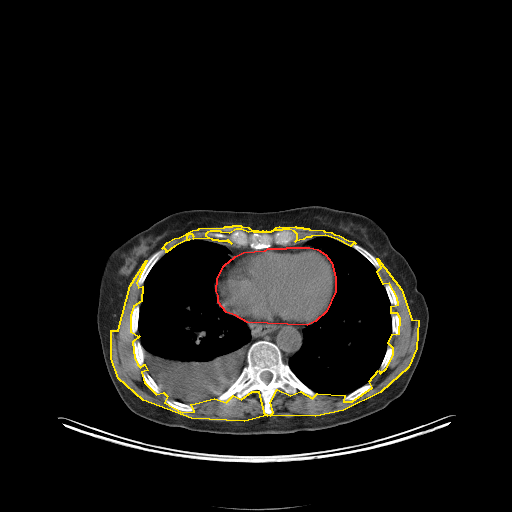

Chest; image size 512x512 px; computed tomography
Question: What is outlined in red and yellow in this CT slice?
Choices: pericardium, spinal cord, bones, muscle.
Answer: red: pericardium; yellow: muscle.
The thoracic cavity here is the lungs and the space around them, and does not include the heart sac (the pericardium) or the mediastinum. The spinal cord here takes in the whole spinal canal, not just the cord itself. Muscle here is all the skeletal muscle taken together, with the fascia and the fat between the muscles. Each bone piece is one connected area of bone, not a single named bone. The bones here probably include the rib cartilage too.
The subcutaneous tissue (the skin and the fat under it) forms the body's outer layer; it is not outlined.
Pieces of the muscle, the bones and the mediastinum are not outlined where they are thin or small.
The pericardium is outlined by (287, 247) (309, 247) (317, 249) (325, 254) (331, 262) (335, 277) (335, 291) (326, 311) (315, 321) (307, 325) (247, 322) (235, 315) (226, 312) (218, 302) (218, 295) (216, 291) (217, 278) (224, 265) (235, 256) (243, 252) (265, 250) (268, 248) (286, 248). The muscle appears in 3 outlined pieces: piece 1: (146, 260) (136, 283) (138, 287) (142, 286) (141, 301) (133, 306) (130, 315) (130, 331) (139, 336) (132, 342) (134, 357) (137, 364) (140, 367) (144, 364) (147, 370) (141, 372) (144, 382) (156, 394) (163, 392) (167, 396) (164, 402) (182, 412) (194, 411) (191, 404) (214, 398) (226, 402) (233, 395) (241, 399) (252, 391) (258, 391) (263, 412) (267, 415) (244, 421) (191, 418) (143, 400) (118, 378) (111, 358) (111, 330) (118, 330) (130, 285); piece 2: (377, 258) (401, 289) (411, 319) (418, 320) (416, 348) (408, 367) (380, 392) (343, 410) (315, 416) (270, 415) (273, 412) (270, 402) (277, 389) (290, 395) (300, 391) (312, 398) (317, 393) (344, 395) (343, 401) (352, 401) (372, 387) (369, 381) (378, 370) (380, 373) (386, 368) (393, 355) (393, 348) (388, 343) (392, 334) (399, 333) (400, 318) (397, 313) (391, 313) (391, 306) (398, 304) (397, 297) (389, 283) (383, 284) (377, 271) (381, 267); piece 3: (233, 225) (240, 225) (241, 226) (248, 227) (253, 231) (262, 231) (263, 230) (271, 231) (276, 227) (279, 226) (282, 227) (295, 226) (296, 227) (302, 227) (303, 228) (308, 228) (309, 229) (323, 230) (324, 231) (331, 232) (334, 234) (339, 235) (348, 240) (353, 241) (355, 243) (353, 243) (350, 246) (337, 239) (325, 235) (311, 236) (310, 237) (306, 237) (303, 239) (295, 241) (297, 239) (297, 234) (294, 231) (289, 229) (282, 229) (281, 230) (276, 230) (271, 232) (267, 232) (266, 231) (265, 232) (259, 232) (258, 231) (251, 231) (248, 232) (241, 229) (236, 229) (229, 233) (221, 232) (220, 231) (210, 231) (207, 232) (205, 234) (205, 235) (208, 237) (214, 239) (217, 239) (218, 240) (224, 240) (227, 239) (231, 243) (225, 241) (213, 240) (212, 239) (193, 238) (194, 237) (192, 234) (188, 234) (186, 236) (186, 238) (189, 239) (188, 240) (186, 240) (174, 246) (166, 252) (166, 250) (164, 248) (162, 248) (167, 242) (174, 238) (179, 237) (192, 230) (198, 229) (199, 228) (224, 227) (225, 226) (232, 226). The spinal cord is outlined by (264, 371) (268, 371) (269, 372) (270, 372) (272, 374) (272, 376) (271, 377) (271, 379) (269, 381) (269, 382) (268, 382) (267, 383) (266, 383) (264, 381) (263, 381) (261, 379) (261, 378) (260, 377) (260, 375) (261, 374) (261, 373) (262, 372) (263, 372). The mediastinum appears in 3 outlined pieces: piece 1: (245, 322) (247, 323) (256, 323) (257, 324) (305, 326) (302, 329) (303, 340) (301, 346) (288, 359) (287, 363) (286, 363) (283, 360) (282, 353) (279, 347) (272, 341) (265, 339) (259, 339) (254, 341) (248, 346) (247, 345) (251, 340) (251, 332) (249, 327); piece 2: (204, 240) (212, 240) (213, 241) (219, 241) (225, 242) (226, 243) (233, 244) (239, 247) (249, 247) (254, 250) (250, 250) (249, 251) (243, 251) (235, 255) (229, 261) (228, 261) (230, 259) (230, 257) (229, 256) (229, 250) (225, 245) (221, 244) (220, 243) (217, 243) (216, 242) (214, 241) (210, 241) (209, 240); piece 3: (311, 237) (314, 237) (309, 239) (306, 242) (307, 244) (310, 246) (313, 246) (317, 248) (320, 248) (323, 251) (323, 252) (317, 248) (310, 247) (309, 246) (271, 247) (273, 245) (287, 246) (294, 242) (297, 242) (298, 241) (303, 240) (306, 238) (310, 238). The bones appear in 12 outlined pieces: piece 1: (259, 340) (275, 344) (283, 362) (316, 393) (316, 396) (312, 397) (300, 390) (290, 394) (277, 388) (269, 402) (272, 411) (269, 415) (264, 412) (264, 402) (258, 390) (252, 390) (241, 398) (233, 394) (226, 401) (218, 400) (217, 397) (237, 379) (247, 364) (249, 347); inner edge: (264, 371) (268, 371) (269, 372) (270, 372) (272, 374) (272, 376) (271, 377) (271, 379) (269, 381) (269, 382) (268, 382) (267, 383) (266, 383) (264, 381) (263, 381) (261, 379) (261, 378) (260, 377) (260, 375) (261, 374) (261, 373) (262, 372) (263, 372); piece 2: (236, 230) (241, 230) (248, 233) (251, 232) (271, 233) (276, 231) (289, 230) (296, 234) (296, 239) (287, 245) (273, 244) (267, 248) (254, 249) (249, 246) (236, 245) (232, 243) (227, 238) (218, 239) (206, 235) (207, 233) (210, 232) (220, 232) (229, 234); piece 3: (160, 249) (164, 249) (165, 250) (165, 253) (163, 255) (162, 255) (161, 257) (160, 257) (159, 259) (153, 265) (153, 266) (147, 274) (143, 282) (143, 284) (140, 286) (138, 286) (138, 284) (137, 283) (138, 282) (138, 279) (144, 265) (146, 263) (147, 260) (155, 252); piece 4: (353, 244) (357, 244) (358, 245) (361, 246) (364, 249) (367, 250) (371, 254) (372, 254) (376, 258) (376, 259) (379, 262) (379, 263) (380, 264) (380, 267) (379, 268) (376, 268) (361, 253) (360, 253) (357, 250) (356, 250) (351, 246); piece 5: (165, 398) (168, 398) (169, 399) (171, 399) (172, 400) (175, 400) (176, 401) (178, 401) (182, 403) (185, 403) (186, 404) (190, 404) (194, 407) (194, 410) (192, 411) (182, 411) (181, 410) (178, 410) (177, 409) (175, 409) (168, 404) (167, 404) (165, 402) (164, 400); piece 6: (367, 383) (370, 383) (372, 385) (371, 386) (371, 387) (366, 392) (365, 392) (362, 395) (361, 395) (359, 397) (358, 397) (355, 399) (353, 399) (352, 400) (343, 400) (343, 397) (345, 395) (346, 395) (347, 394) (354, 391) (356, 389) (361, 387) (363, 385) (364, 385); piece 7: (134, 340) (139, 340) (139, 341) (140, 342) (140, 344) (144, 350) (144, 362) (143, 363) (143, 365) (142, 366) (140, 366) (138, 364) (138, 363) (137, 362) (137, 360) (135, 357) (135, 353) (134, 352) (134, 348) (133, 347) (133, 342) (134, 341); piece 8: (137, 304) (138, 304) (139, 305) (139, 315) (138, 316) (138, 322) (137, 323) (137, 324) (138, 325) (138, 327) (137, 328) (137, 332) (136, 333) (135, 333) (134, 334) (133, 334) (131, 331) (131, 315) (132, 314) (132, 310) (133, 309) (133, 308) (134, 307) (134, 306); piece 9: (144, 370) (145, 371) (146, 371) (149, 374) (149, 375) (153, 379) (153, 380) (157, 384) (157, 385) (160, 388) (160, 389) (161, 390) (161, 391) (160, 392) (160, 393) (156, 393) (145, 382) (145, 381) (144, 380) (144, 379) (143, 378) (143, 377) (142, 376) (142, 372); piece 10: (388, 345) (389, 346) (390, 346) (392, 348) (392, 355) (391, 356) (388, 363) (386, 365) (385, 368) (382, 371) (381, 371) (380, 372) (379, 371) (379, 368) (380, 367) (380, 365) (383, 360) (383, 358) (385, 355) (385, 353) (386, 352) (386, 350) (387, 349) (387, 346); piece 11: (385, 284) (389, 284) (393, 289) (394, 291) (394, 293) (395, 294) (395, 296) (396, 297) (396, 300) (397, 301) (397, 304) (396, 306) (393, 306) (391, 305) (390, 303) (390, 301) (389, 300) (389, 298) (388, 297) (388, 295) (387, 294) (387, 292) (384, 286); piece 12: (394, 313) (395, 313) (396, 314) (397, 314) (397, 315) (398, 316) (398, 317) (399, 318) (399, 330) (398, 331) (398, 333) (396, 335) (395, 335) (394, 334) (393, 334) (392, 333) (392, 319) (391, 318) (391, 314) (393, 314). The thoracic cavity appears in 2 outlined pieces: piece 1: (193, 239) (214, 242) (227, 248) (229, 259) (221, 266) (215, 278) (216, 303) (227, 314) (243, 321) (250, 332) (250, 340) (246, 345) (246, 364) (239, 375) (216, 397) (201, 403) (172, 399) (162, 391) (146, 368) (145, 350) (138, 332) (143, 285) (148, 274) (167, 252); piece 2: (319, 236) (337, 240) (361, 254) (376, 269) (390, 304) (391, 334) (378, 369) (368, 382) (342, 395) (316, 392) (305, 384) (288, 364) (289, 359) (302, 346) (304, 340) (303, 329) (315, 322) (327, 311) (336, 292) (336, 277) (332, 262) (320, 247) (310, 245) (307, 242). The torso is outlined by (311, 205) (350, 211) (372, 219) (387, 234) (416, 276) (417, 288) (428, 307) (429, 320) (420, 359) (404, 392) (383, 409) (354, 421) (324, 429) (279, 434) (194, 431) (160, 424) (131, 411) (110, 379) (97, 328) (99, 284) (109, 255) (132, 236) (179, 211) (270, 212).